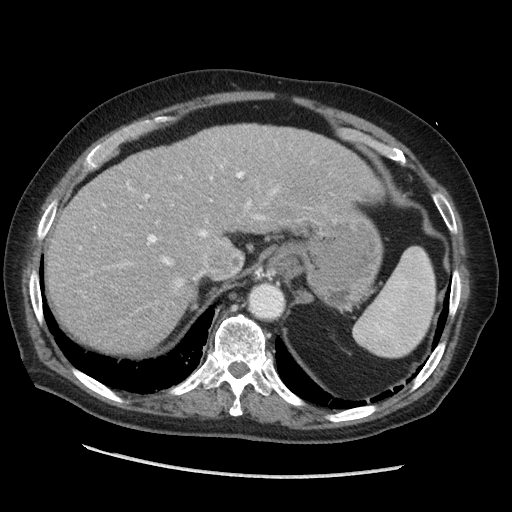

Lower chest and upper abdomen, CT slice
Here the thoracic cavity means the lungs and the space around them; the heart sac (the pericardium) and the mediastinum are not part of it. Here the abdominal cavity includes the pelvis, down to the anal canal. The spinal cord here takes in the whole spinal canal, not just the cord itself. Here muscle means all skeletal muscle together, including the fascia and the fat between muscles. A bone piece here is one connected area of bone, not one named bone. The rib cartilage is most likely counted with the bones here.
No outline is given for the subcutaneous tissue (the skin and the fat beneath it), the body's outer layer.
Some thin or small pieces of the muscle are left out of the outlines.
Outlines (x, y in pixels):
muscle: 234,90 307,97 364,118 407,146 451,196 470,246 470,295 445,373 413,402 382,417 337,428 292,429 240,416 240,397 249,384 263,396 273,390 296,407 305,406 306,401 339,410 324,415 335,423 371,415 378,402 411,382 409,391 414,391 444,354 447,340 440,339 447,317 452,319 457,311 462,291 460,271 452,269 450,233 457,234 458,226 446,196 438,190 430,195 417,177 395,162 403,167 407,164 399,147 358,129 333,127 318,112 281,97 215,104 177,118 156,115 129,123 96,144 81,164 86,175 61,207 55,197 42,213 36,228 37,239 43,240 39,267 28,278 38,323 41,326 45,321 72,364 72,374 90,390 127,403 112,389 138,394 168,389 170,395 179,396 200,384 208,390 226,382 233,395 228,413 237,417 195,419 122,409 90,395 38,358 26,324 22,262 32,227 53,187 88,146 111,130 175,103
torso: 202,68 245,69 338,81 369,89 435,127 463,160 490,228 499,270 498,295 495,309 461,375 430,414 355,440 294,444 133,429 96,417 35,386 15,340 3,288 6,237 19,198 59,140 98,104 148,81
thoracic cavity 1: 41,256 43,293 51,315 59,329 84,352 113,358 117,362 122,360 140,362 165,356 178,345 198,318 214,305 210,327 210,346 203,361 178,383 168,388 146,393 111,388 77,368 66,357 45,320 39,276
thoracic cavity 2: 277,336 281,338 287,351 299,367 324,392 332,398 344,401 367,400 382,392 392,390 395,386 403,384 429,355 411,381 396,393 374,404 365,404 340,410 307,401 292,391 284,383 275,366 274,351 275,339
thoracic cavity 3: 450,280 450,284 449,285 449,293 448,294 446,320 439,341 430,353 430,349 434,337 434,334 436,330 436,327 438,323 438,319 440,313 442,311 443,308 443,303 444,302 445,293 448,287 448,285 449,284 450,283
mediastinum 1: 256,271 280,274 287,281 293,294 293,301 280,325 280,334 274,339 274,350 270,350 267,335 261,326 240,312 227,316 219,322 213,333 213,347 209,349 211,346 211,327 215,314 214,299 221,292 233,288
mediastinum 2: 381,156 393,161 405,170 410,176 417,178 425,188 449,233 451,244 452,267 448,260 448,256 450,254 449,239 443,232 436,230 432,227 430,219 423,206 406,196 397,187 391,172 388,169 386,163 381,158
spinal cord: 233,362 243,362 248,367 248,368 249,369 249,370 246,373 245,373 242,376 241,376 240,377 236,377 235,376 234,376 229,371 229,370 228,369 228,367
bones 1: 240,313 260,326 273,351 280,379 305,405 293,405 273,389 263,395 249,383 239,397 242,414 233,416 229,409 234,395 226,381 208,389 200,383 179,395 169,393 172,386 202,364 214,347 214,333 220,322 with a hole at 233,362 243,362 248,367 248,368 249,369 249,370 246,373 245,373 242,376 241,376 240,377 236,377 235,376 234,376 229,371 229,370 228,369 228,367
bones 2: 162,115 173,116 176,118 175,120 168,123 161,123 158,127 147,133 120,143 97,168 89,172 86,172 84,170 82,164 88,153 96,145 104,141 114,133 129,124 137,123 145,119 151,119 156,116
bones 3: 339,127 347,127 355,130 358,130 365,134 368,134 372,138 389,146 399,148 404,153 406,157 406,164 403,166 398,162 389,159 388,157 382,155 365,143 357,139 352,139 338,134 336,131 336,128
bones 4: 442,340 446,340 446,344 445,345 445,348 444,349 443,354 441,358 439,360 438,363 436,365 435,368 430,374 430,375 417,388 412,391 410,391 410,389 412,386 412,380 420,371 435,347 438,344 438,343
bones 5: 73,366 77,369 87,374 89,376 92,377 94,379 97,380 99,382 102,383 104,385 107,386 113,390 120,397 123,398 127,401 127,402 118,402 117,401 112,400 90,389 82,383 73,374 71,370 71,368
bones 6: 436,191 438,191 442,193 449,202 454,214 454,217 455,218 455,221 456,222 456,225 457,226 457,233 451,233 448,230 445,222 440,215 440,213 438,209 436,207 433,201 433,199 431,197 431,194
bones 7: 34,269 38,272 38,276 39,277 39,287 41,292 42,310 43,311 43,316 44,317 44,322 41,325 39,323 35,315 35,313 31,303 30,295 29,294 29,278 30,277 32,270
bones 8: 375,404 377,407 377,409 371,414 364,417 361,417 356,419 351,419 350,420 337,421 336,422 334,421 330,421 325,418 325,415 329,413 335,413 341,410 350,409 355,407 360,407 365,405 374,405
bones 9: 455,268 457,268 458,269 459,273 460,274 460,278 461,279 461,291 460,292 459,302 458,303 456,311 453,317 451,318 449,316 448,316 448,306 449,305 449,294 450,293 450,285 451,284 452,272
bones 10: 55,198 57,198 58,199 58,205 57,206 57,210 56,211 55,216 51,223 51,225 45,237 43,239 40,240 38,239 37,237 37,228 38,227 39,222 46,208 48,206 48,205
abdominal cavity: 277,98 318,113 338,135 380,154 396,187 448,239 451,277 425,359 403,383 370,398 332,397 280,336 294,294 269,270 221,291 165,355 117,361 84,351 60,329 44,293 44,239 74,188 120,144 194,110